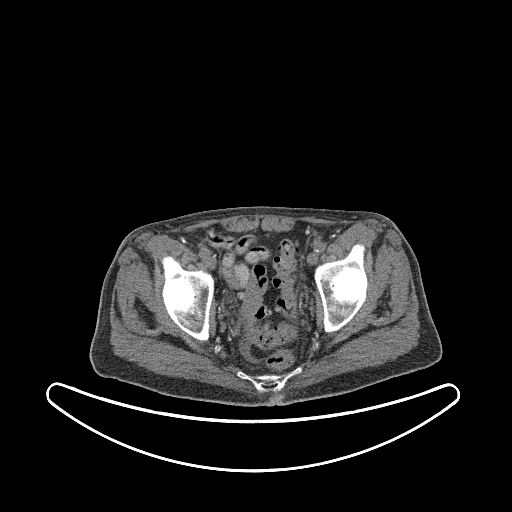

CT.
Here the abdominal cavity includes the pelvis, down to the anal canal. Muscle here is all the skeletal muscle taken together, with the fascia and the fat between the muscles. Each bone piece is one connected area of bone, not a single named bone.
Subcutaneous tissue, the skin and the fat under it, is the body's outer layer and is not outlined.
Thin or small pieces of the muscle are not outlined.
The bones appear in 3 outlined pieces: piece 1: (356, 243) (360, 243) (365, 247) (364, 261) (363, 262) (364, 270) (367, 277) (367, 288) (365, 300) (358, 311) (346, 324) (338, 330) (326, 332) (324, 331) (324, 325) (323, 324) (323, 306) (314, 278) (315, 268) (319, 264) (344, 258) (351, 250) (353, 245); piece 2: (166, 255) (170, 255) (175, 260) (179, 262) (180, 265) (186, 270) (207, 271) (213, 277) (214, 281) (213, 298) (211, 301) (209, 310) (209, 338) (207, 340) (196, 339) (182, 330) (172, 320) (166, 310) (162, 297) (162, 289) (164, 284) (164, 272) (161, 262) (161, 259); piece 3: (298, 366) (302, 368) (301, 372) (290, 377) (286, 381) (284, 386) (279, 391) (276, 392) (270, 389) (266, 392) (260, 392) (256, 389) (249, 380) (242, 379) (236, 375) (236, 373) (239, 370) (254, 377) (257, 375) (263, 374) (275, 374) (276, 375) (282, 374) (283, 375). The torso is outlined by (238, 206) (363, 210) (376, 212) (391, 219) (408, 241) (418, 260) (427, 303) (441, 341) (442, 355) (440, 360) (429, 367) (352, 392) (283, 406) (238, 406) (178, 398) (98, 375) (90, 362) (90, 344) (96, 326) (102, 282) (124, 237) (133, 229) (151, 222) (204, 210). The abdominal cavity is outlined by (298, 221) (326, 226) (351, 225) (326, 246) (313, 271) (317, 290) (317, 335) (305, 359) (291, 370) (281, 374) (247, 373) (234, 364) (215, 337) (215, 281) (208, 266) (188, 246) (168, 235) (193, 232) (212, 224) (237, 232) (252, 230) (259, 225) (264, 230) (288, 231). The muscle is outlined by (255, 214) (374, 219) (390, 227) (401, 241) (411, 270) (418, 302) (418, 344) (393, 361) (293, 388) (283, 397) (272, 397) (270, 393) (253, 395) (215, 384) (166, 376) (115, 355) (109, 340) (112, 292) (119, 257) (127, 247) (134, 245) (137, 236) (200, 220) with a hole at (298, 221) (351, 225) (317, 261) (342, 259) (362, 244) (366, 297) (346, 324) (326, 332) (316, 290) (317, 335) (301, 372) (279, 391) (260, 392) (236, 375) (241, 369) (215, 337) (214, 298) (207, 340) (169, 316) (161, 259) (208, 271) (169, 234) (212, 224) (288, 231).